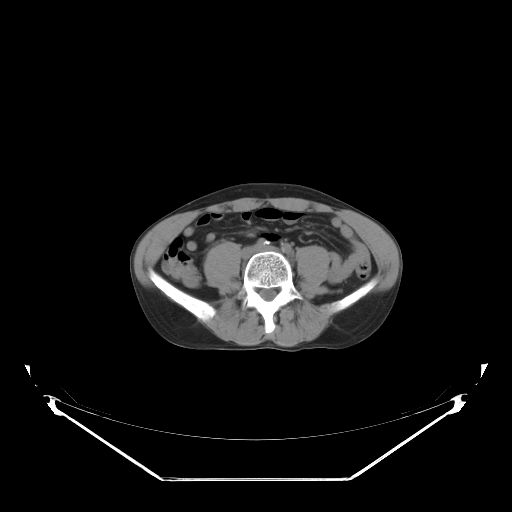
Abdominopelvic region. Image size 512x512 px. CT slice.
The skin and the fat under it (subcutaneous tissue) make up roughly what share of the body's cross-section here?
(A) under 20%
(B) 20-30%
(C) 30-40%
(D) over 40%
(B) 20-30%
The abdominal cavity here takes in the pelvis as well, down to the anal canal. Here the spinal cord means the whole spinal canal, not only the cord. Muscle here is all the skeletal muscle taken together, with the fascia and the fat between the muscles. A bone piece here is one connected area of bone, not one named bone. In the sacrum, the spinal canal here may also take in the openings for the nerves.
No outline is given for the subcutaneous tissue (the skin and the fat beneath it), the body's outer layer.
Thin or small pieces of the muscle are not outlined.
spinal cord: [[272,288],[275,288],[276,289],[278,289],[278,291],[277,292],[277,293],[275,295],[275,296],[271,300],[266,300],[265,299],[264,299],[259,294],[259,293],[258,292],[258,291],[257,290],[258,289],[271,289]]
bones 1: [[267,250],[279,252],[287,258],[292,268],[291,281],[303,297],[302,300],[295,298],[281,306],[273,314],[275,327],[270,333],[265,332],[264,320],[261,314],[253,307],[246,307],[243,310],[241,304],[242,299],[237,298],[243,284],[247,261],[253,254]] with a hole at [[272,288],[275,288],[276,289],[278,289],[278,291],[277,292],[277,293],[275,295],[275,296],[271,300],[266,300],[265,299],[264,299],[259,294],[259,293],[258,292],[258,291],[257,290],[258,289],[271,289]]
bones 2: [[149,268],[151,268],[157,272],[166,280],[182,291],[192,296],[202,299],[209,303],[215,309],[216,311],[215,315],[212,318],[209,319],[207,321],[202,321],[200,319],[197,318],[192,313],[188,311],[181,305],[172,300],[154,284],[148,275],[148,269]]
bones 3: [[374,276],[375,276],[377,278],[378,281],[373,287],[373,288],[371,289],[364,296],[344,309],[342,309],[339,311],[336,311],[335,312],[331,312],[330,311],[329,309],[329,305],[332,302],[338,299],[340,299],[347,294],[352,292],[354,290],[367,282]]
torso: [[247,182],[286,182],[315,188],[370,214],[393,233],[402,251],[403,273],[395,303],[377,331],[360,343],[337,350],[324,348],[299,351],[270,348],[197,350],[170,343],[152,328],[139,306],[130,279],[129,253],[133,242],[149,224],[182,204],[217,189]]
abdominal cavity: [[264,204],[336,215],[366,244],[375,274],[324,301],[339,291],[323,283],[325,247],[296,250],[294,283],[290,261],[272,249],[253,253],[241,276],[241,247],[223,240],[202,262],[204,283],[219,296],[203,299],[177,287],[156,265],[186,225],[205,212]]
muscle 1: [[223,241],[240,247],[242,284],[236,298],[241,299],[243,311],[253,308],[260,314],[266,334],[274,331],[274,314],[281,307],[304,299],[295,286],[297,250],[303,247],[317,245],[327,250],[328,276],[322,283],[338,291],[320,297],[324,302],[333,301],[328,305],[331,313],[344,310],[318,337],[294,346],[271,340],[238,345],[220,339],[197,319],[207,322],[217,313],[205,300],[220,295],[205,283],[203,262],[208,250]]
muscle 2: [[243,197],[302,198],[337,208],[348,209],[370,219],[390,236],[397,248],[399,267],[394,284],[387,291],[372,294],[347,308],[364,297],[379,281],[375,275],[377,265],[367,244],[349,224],[332,212],[292,210],[264,203],[244,211],[205,211],[200,213],[186,224],[165,246],[155,265],[155,270],[151,267],[147,269],[147,275],[153,284],[174,302],[157,291],[145,288],[135,274],[134,255],[139,242],[148,231],[172,215]]